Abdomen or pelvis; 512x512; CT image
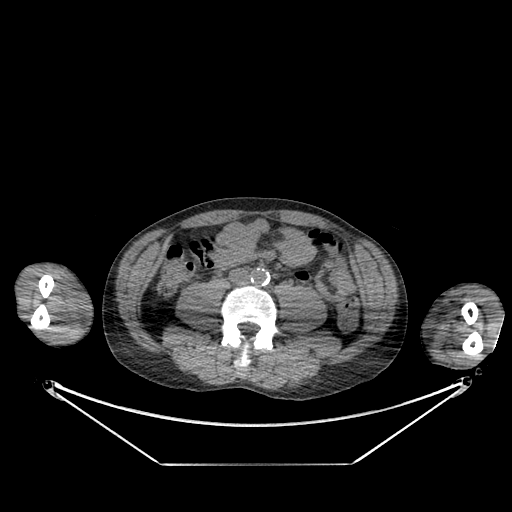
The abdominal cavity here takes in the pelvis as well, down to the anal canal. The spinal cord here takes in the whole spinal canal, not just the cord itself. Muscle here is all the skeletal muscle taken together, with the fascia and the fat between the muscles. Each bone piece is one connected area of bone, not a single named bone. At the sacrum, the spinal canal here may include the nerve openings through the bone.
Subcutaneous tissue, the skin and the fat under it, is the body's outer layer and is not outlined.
Outlines (x, y in pixels):
right arm: 44 260; 53 260; 60 262; 75 272; 86 287; 91 297; 94 307; 94 319; 92 327; 89 333; 79 342; 64 348; 55 348; 45 345; 34 336; 25 324; 18 318; 16 314; 16 302; 13 291; 13 284; 18 272; 24 266; 30 263
spinal cord: 246 322; 249 322; 250 323; 253 323; 254 324; 257 325; 259 327; 259 329; 253 335; 252 335; 249 337; 248 337; 247 336; 246 336; 244 334; 243 334; 241 332; 241 331; 239 329; 239 328; 238 327; 238 325; 240 323; 245 323
bones 1: 244 285; 254 285; 263 289; 272 297; 277 308; 275 323; 279 332; 272 338; 272 350; 250 349; 248 354; 250 363; 243 370; 237 369; 233 364; 241 350; 230 345; 221 345; 222 332; 220 326; 223 318; 220 309; 226 294; 232 289 with a hole at 246 322; 249 322; 250 323; 253 323; 254 324; 257 325; 259 327; 259 329; 253 335; 252 335; 249 337; 248 337; 247 336; 246 336; 244 334; 243 334; 241 332; 241 331; 239 329; 239 328; 238 327; 238 325; 240 323; 245 323
bones 2: 472 330; 476 330; 480 334; 482 338; 482 341; 483 342; 483 344; 484 345; 483 346; 483 349; 479 353; 475 355; 469 355; 468 354; 466 354; 463 351; 462 349; 462 343; 463 341; 468 335; 468 334; 469 334
bones 3: 41 303; 43 303; 45 305; 46 307; 46 309; 50 316; 50 322; 48 326; 48 329; 34 329; 32 328; 30 325; 31 324; 30 323; 30 319; 31 318; 31 316; 34 310; 39 305; 39 304
bones 4: 468 301; 472 301; 473 302; 474 302; 478 307; 478 315; 477 316; 477 318; 476 319; 475 322; 473 324; 471 324; 470 325; 469 325; 466 322; 466 321; 464 319; 464 318; 461 314; 461 308; 462 307; 462 306; 466 302; 467 302
bones 5: 43 274; 50 274; 52 276; 52 277; 54 280; 54 286; 53 287; 53 288; 52 289; 51 292; 49 294; 49 295; 46 298; 44 298; 42 296; 42 295; 39 290; 39 288; 38 287; 38 281; 39 280; 39 279; 41 277; 41 276
torso: 236 196; 287 198; 319 206; 370 235; 390 253; 401 272; 406 288; 407 329; 398 354; 374 379; 319 399; 278 400; 244 388; 200 392; 167 387; 130 371; 115 359; 104 336; 101 305; 106 277; 119 250; 138 231; 167 215; 200 202
left arm: 463 281; 475 281; 483 283; 492 288; 499 296; 501 302; 503 304; 504 313; 492 352; 484 358; 478 365; 470 369; 449 369; 441 365; 432 364; 429 362; 421 347; 419 338; 419 330; 421 322; 434 299; 440 293; 450 286
muscle 1: 221 209; 287 209; 311 213; 374 244; 388 260; 398 288; 394 318; 382 338; 355 359; 325 365; 309 383; 284 391; 245 381; 219 385; 199 383; 176 368; 167 355; 138 347; 115 300; 117 270; 125 252; 150 231; 169 228; 196 214 with a hole at 250 215; 340 237; 362 304; 355 339; 343 345; 318 328; 328 313; 322 296; 285 280; 273 287; 273 349; 251 348; 243 370; 233 364; 241 350; 221 345; 226 278; 181 290; 174 308; 186 326; 161 335; 145 326; 142 298; 172 236
muscle 2: 464 285; 477 285; 491 291; 497 298; 502 315; 497 325; 494 339; 492 341; 490 349; 475 364; 449 364; 444 361; 435 359; 431 355; 429 351; 430 346; 426 341; 425 337; 425 333; 427 330; 426 324; 434 305; 451 289; 455 289; inner edges: 472 330; 476 330; 480 334; 482 338; 482 341; 483 342; 483 344; 484 345; 483 346; 483 349; 479 353; 475 355; 469 355; 468 354; 466 354; 463 351; 462 349; 462 343; 463 341; 468 335; 468 334; 469 334, then 468 301; 472 301; 473 302; 474 302; 478 307; 478 315; 477 316; 477 318; 476 319; 475 322; 473 324; 471 324; 470 325; 469 325; 466 322; 466 321; 464 319; 464 318; 461 314; 461 308; 462 307; 462 306; 466 302; 467 302
muscle 3: 45 263; 58 265; 70 273; 82 288; 92 308; 92 315; 89 326; 77 339; 68 343; 54 344; 43 339; 36 331; 48 330; 51 322; 51 316; 43 302; 39 303; 33 310; 29 320; 24 318; 19 308; 17 283; 22 272; 30 266 with a hole at 43 274; 50 274; 52 276; 52 277; 54 280; 54 286; 53 287; 53 288; 52 289; 51 292; 49 294; 49 295; 46 298; 44 298; 42 296; 42 295; 39 290; 39 288; 38 287; 38 281; 39 280; 39 279; 41 277; 41 276
abdominal cavity: 250 215; 340 237; 362 304; 363 327; 355 339; 343 345; 318 328; 328 313; 322 296; 285 280; 273 287; 277 307; 270 293; 254 284; 231 289; 223 277; 194 280; 174 307; 186 326; 169 324; 161 335; 145 326; 142 298; 172 236